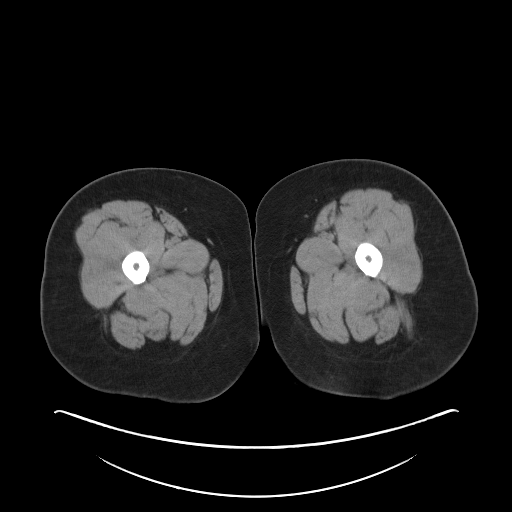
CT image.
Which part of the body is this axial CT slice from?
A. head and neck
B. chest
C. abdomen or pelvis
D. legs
Answer: D. legs
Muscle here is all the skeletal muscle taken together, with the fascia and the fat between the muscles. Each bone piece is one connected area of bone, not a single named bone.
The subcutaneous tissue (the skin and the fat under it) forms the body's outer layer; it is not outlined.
Outlines (x, y in pixels):
bones 1: 361 242; 369 242; 373 244; 376 247; 377 247; 381 252; 381 254; 383 258; 383 262; 382 263; 381 269; 379 271; 376 277; 371 277; 370 276; 365 275; 356 264; 356 262; 354 258; 354 254; 355 253; 355 251; 356 250; 357 246
bones 2: 133 250; 140 250; 142 251; 144 253; 145 256; 147 258; 149 262; 149 271; 146 276; 146 278; 145 280; 142 283; 140 283; 139 284; 134 284; 124 274; 121 268; 121 262; 123 258; 129 252
left leg: 355 157; 383 160; 404 167; 420 177; 436 193; 458 231; 478 296; 475 333; 459 361; 433 384; 414 393; 391 399; 340 396; 295 385; 278 369; 278 358; 268 331; 263 327; 254 242; 255 212; 259 201; 275 182; 295 170; 322 161
muscle 1: 368 187; 392 191; 414 209; 416 219; 414 239; 423 256; 423 276; 419 288; 413 295; 415 342; 404 356; 392 361; 356 360; 333 353; 300 324; 290 298; 289 272; 291 265; 294 263; 295 251; 300 242; 307 236; 320 209; 345 191; inner edge: 361 242; 369 242; 373 244; 376 247; 377 247; 381 252; 381 254; 383 258; 383 262; 382 263; 381 269; 379 271; 376 277; 371 277; 370 276; 365 275; 356 264; 356 262; 354 258; 354 254; 355 253; 355 251; 356 250; 357 246
muscle 2: 115 199; 142 200; 152 206; 155 204; 164 208; 184 225; 191 237; 202 242; 220 264; 223 277; 220 311; 206 337; 180 357; 173 359; 132 357; 110 349; 101 337; 93 308; 82 295; 79 282; 82 256; 75 241; 74 231; 88 210 with a hole at 133 250; 140 250; 142 251; 144 253; 145 256; 147 258; 149 262; 149 271; 146 276; 146 278; 145 280; 142 283; 140 283; 139 284; 134 284; 124 274; 121 268; 121 262; 123 258; 129 252
right leg: 146 166; 181 169; 213 179; 229 188; 242 200; 249 217; 262 320; 258 346; 250 363; 228 389; 199 403; 175 404; 104 393; 89 388; 72 377; 56 361; 48 350; 41 329; 39 291; 44 247; 58 211; 75 191; 93 179; 121 169